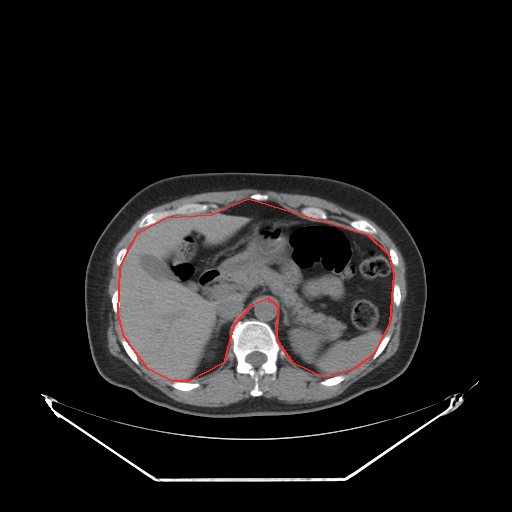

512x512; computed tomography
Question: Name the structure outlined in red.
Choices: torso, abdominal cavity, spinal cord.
Answer: red: abdominal cavity.
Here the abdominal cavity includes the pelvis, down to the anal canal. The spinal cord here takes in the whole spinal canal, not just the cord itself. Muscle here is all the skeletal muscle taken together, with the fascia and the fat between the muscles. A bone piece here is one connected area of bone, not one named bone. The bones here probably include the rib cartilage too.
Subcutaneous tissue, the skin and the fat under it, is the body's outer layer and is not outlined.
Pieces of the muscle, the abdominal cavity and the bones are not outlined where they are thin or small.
abdominal cavity: (248, 198) (367, 234) (388, 254) (393, 273) (389, 323) (373, 354) (353, 369) (325, 378) (293, 363) (277, 340) (278, 307) (268, 298) (250, 306) (233, 325) (223, 363) (189, 381) (172, 381) (148, 369) (124, 337) (118, 314) (120, 266) (138, 232) (166, 217) (211, 214)
spinal cord: (256, 351) (257, 352) (260, 352) (261, 353) (263, 353) (266, 356) (266, 360) (263, 363) (262, 363) (259, 366) (258, 366) (257, 367) (255, 367) (253, 365) (252, 365) (250, 363) (249, 363) (246, 360) (246, 357) (247, 356) (247, 355) (250, 354) (252, 352) (255, 352)
mediastinum: (264, 299) (273, 300) (277, 307) (276, 325) (274, 330) (272, 329) (272, 328) (267, 322) (263, 320) (260, 320) (255, 318) (245, 318) (243, 320) (241, 320) (240, 319) (241, 316) (244, 314) (250, 307) (255, 305) (256, 303) (257, 303) (260, 300) (263, 300)
torso: (226, 171) (303, 174) (341, 180) (374, 194) (397, 214) (420, 251) (427, 284) (421, 336) (403, 373) (381, 387) (332, 407) (297, 414) (242, 417) (206, 417) (175, 411) (114, 385) (99, 374) (87, 337) (84, 281) (90, 254) (100, 234) (122, 205) (146, 185) (173, 175)
muscle: (248, 188) (316, 196) (365, 216) (386, 232) (406, 264) (407, 292) (397, 350) (334, 397) (300, 404) (275, 402) (262, 396) (259, 379) (269, 374) (274, 380) (278, 358) (286, 356) (299, 368) (324, 378) (319, 383) (330, 387) (342, 382) (346, 378) (344, 374) (369, 358) (376, 359) (391, 338) (386, 332) (392, 306) (398, 307) (401, 303) (400, 286) (393, 283) (393, 266) (399, 265) (399, 258) (394, 248) (390, 247) (388, 253) (370, 235) (378, 231) (364, 218) (353, 219) (348, 223) (353, 230) (320, 220) (326, 220) (328, 214) (319, 207) (304, 206) (300, 209) (300, 215) (269, 200) (266, 193) (252, 193) (211, 213) (173, 215) (216, 208) (214, 203) (186, 202) (145, 214) (137, 224) (141, 229) (129, 247) (122, 247) (116, 254) (118, 288) (110, 298) (123, 335) (120, 343) (136, 365) (140, 362) (157, 376) (170, 380) (171, 387) (188, 392) (201, 385) (198, 381) (190, 381) (217, 370) (231, 349) (236, 361) (235, 371) (247, 374) (253, 380) (253, 387) (249, 391) (251, 397) (216, 407) (177, 401) (112, 355) (106, 345) (106, 289) (110, 255) (136, 220) (149, 209) (184, 196)
bones 1: (246, 319) (267, 323) (285, 354) (283, 357) (279, 355) (277, 358) (274, 379) (272, 378) (273, 375) (269, 373) (259, 377) (258, 387) (262, 391) (260, 396) (250, 394) (254, 387) (254, 380) (249, 374) (236, 371) (237, 361) (232, 353) (233, 342) (230, 331) (237, 322); inner edge: (256, 351) (257, 352) (260, 352) (261, 353) (263, 353) (266, 356) (266, 360) (263, 363) (262, 363) (259, 366) (258, 366) (257, 367) (255, 367) (253, 365) (252, 365) (250, 363) (249, 363) (246, 360) (246, 357) (247, 356) (247, 355) (250, 354) (252, 352) (255, 352)
bones 2: (186, 203) (200, 203) (201, 204) (208, 204) (209, 205) (214, 204) (216, 205) (216, 207) (209, 207) (203, 211) (198, 211) (192, 213) (176, 213) (172, 215) (168, 215) (147, 226) (141, 227) (140, 228) (138, 226) (138, 224) (141, 219) (148, 213) (173, 209) (180, 205)
bones 3: (359, 219) (364, 219) (368, 222) (369, 222) (376, 229) (377, 232) (376, 233) (374, 233) (373, 234) (368, 234) (367, 233) (365, 233) (364, 232) (362, 232) (361, 231) (358, 231) (357, 230) (356, 230) (353, 227) (352, 227) (349, 223) (353, 220) (358, 220)
bones 4: (304, 207) (315, 207) (316, 208) (319, 208) (320, 209) (321, 209) (326, 212) (326, 213) (327, 214) (327, 218) (326, 219) (321, 219) (320, 218) (319, 218) (318, 219) (312, 219) (311, 218) (309, 218) (308, 217) (306, 217) (304, 215) (303, 215) (301, 212) (301, 209)
bones 5: (174, 381) (181, 381) (182, 382) (198, 382) (200, 385) (198, 387) (197, 387) (196, 388) (194, 388) (191, 390) (189, 390) (188, 391) (183, 391) (182, 390) (180, 390) (179, 389) (177, 389) (176, 388) (175, 388) (174, 387) (173, 387) (170, 385) (170, 383) (171, 383)
bones 6: (122, 338) (124, 338) (127, 341) (127, 342) (129, 344) (129, 345) (135, 352) (135, 353) (137, 356) (137, 358) (139, 361) (139, 364) (138, 365) (137, 364) (136, 364) (130, 358) (130, 357) (127, 354) (127, 353) (125, 351) (125, 350) (121, 343) (121, 339)
bones 7: (341, 374) (343, 374) (345, 375) (345, 378) (342, 381) (341, 381) (337, 384) (335, 384) (334, 385) (331, 385) (330, 386) (326, 386) (320, 383) (320, 382) (322, 380) (326, 378) (330, 378) (331, 377) (333, 377) (337, 375) (340, 375)
bones 8: (386, 334) (389, 334) (390, 335) (390, 338) (389, 339) (388, 342) (386, 344) (384, 349) (381, 352) (381, 353) (376, 358) (373, 359) (372, 358) (372, 357) (373, 356) (373, 355) (376, 350) (376, 348) (378, 346) (378, 345) (380, 343) (380, 342) (382, 340) (382, 339)
bones 9: (394, 284) (397, 284) (399, 286) (399, 289) (400, 290) (400, 294) (401, 295) (401, 298) (400, 299) (400, 303) (399, 304) (399, 305) (398, 306) (396, 306) (393, 303) (393, 301) (392, 300) (392, 290) (393, 289) (393, 285)
bones 10: (115, 290) (118, 290) (119, 291) (119, 309) (118, 310) (118, 312) (117, 313) (115, 313) (114, 312) (114, 311) (113, 310) (113, 308) (112, 307) (112, 303) (111, 302) (111, 298) (112, 297) (112, 295) (113, 294) (113, 293) (114, 292) (114, 291)
bones 11: (122, 248) (126, 248) (127, 249) (127, 251) (126, 252) (126, 255) (125, 256) (125, 259) (124, 260) (124, 261) (123, 262) (123, 263) (122, 263) (121, 264) (121, 265) (120, 265) (119, 266) (118, 266) (116, 264) (116, 257) (117, 256) (117, 254) (118, 253) (118, 252)